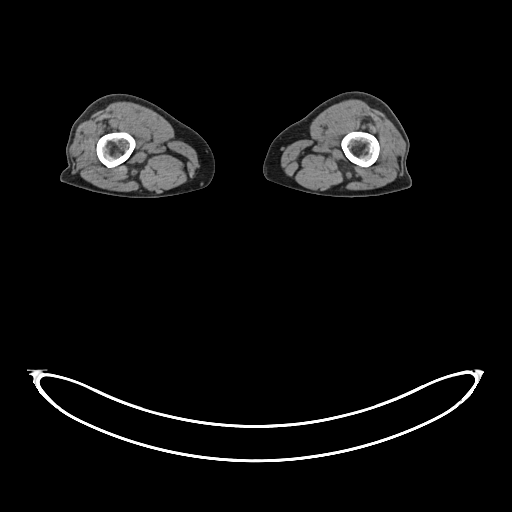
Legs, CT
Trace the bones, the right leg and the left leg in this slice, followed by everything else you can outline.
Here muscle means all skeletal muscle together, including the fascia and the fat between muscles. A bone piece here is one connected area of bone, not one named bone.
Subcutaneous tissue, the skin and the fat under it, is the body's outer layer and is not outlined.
Outlined structures:
bones 1: (118, 131) (124, 131) (125, 132) (129, 133) (134, 138) (135, 140) (135, 147) (129, 157) (125, 161) (114, 167) (111, 167) (110, 168) (104, 165) (99, 160) (96, 153) (96, 144) (97, 143) (98, 139) (104, 134) (106, 133) (109, 133) (110, 132) (117, 132)
bones 2: (351, 131) (365, 131) (366, 132) (368, 132) (374, 135) (377, 138) (378, 140) (378, 142) (379, 143) (379, 154) (375, 162) (371, 165) (367, 167) (362, 167) (357, 164) (355, 164) (351, 162) (345, 155) (341, 147) (341, 140) (342, 138) (347, 133)
right leg: (110, 93) (128, 93) (146, 99) (158, 105) (178, 120) (199, 133) (208, 143) (212, 150) (215, 160) (215, 172) (210, 183) (204, 188) (178, 195) (157, 198) (131, 198) (97, 193) (61, 182) (59, 179) (59, 175) (67, 165) (65, 146) (73, 122) (92, 101) (103, 95)
left leg: (353, 90) (367, 92) (383, 100) (391, 108) (402, 124) (410, 142) (410, 148) (406, 164) (412, 180) (411, 186) (407, 189) (376, 196) (333, 197) (302, 192) (267, 180) (263, 175) (262, 165) (268, 147) (272, 140) (283, 129) (290, 124) (301, 119) (323, 101) (339, 93)
muscle 1: (115, 101) (130, 101) (137, 103) (153, 110) (167, 120) (175, 132) (191, 145) (200, 156) (200, 166) (194, 178) (169, 191) (158, 194) (146, 194) (103, 189) (90, 185) (79, 176) (71, 174) (72, 158) (69, 147) (73, 142) (77, 127) (92, 111) (98, 107) with a hole at (118, 131) (124, 131) (125, 132) (129, 133) (134, 138) (135, 140) (135, 147) (129, 157) (125, 161) (114, 167) (111, 167) (110, 168) (104, 165) (99, 160) (96, 153) (96, 144) (97, 143) (98, 139) (104, 134) (106, 133) (109, 133) (110, 132) (117, 132)
muscle 2: (352, 98) (360, 99) (367, 104) (380, 109) (400, 133) (405, 142) (405, 151) (403, 158) (403, 173) (401, 178) (395, 183) (372, 192) (332, 192) (331, 193) (313, 191) (288, 180) (282, 173) (277, 159) (277, 153) (280, 147) (302, 135) (314, 118) (326, 108) (340, 101) with a hole at (351, 131) (365, 131) (366, 132) (368, 132) (374, 135) (377, 138) (378, 140) (378, 142) (379, 143) (379, 154) (375, 162) (371, 165) (367, 167) (362, 167) (357, 164) (355, 164) (351, 162) (345, 155) (341, 147) (341, 140) (342, 138) (347, 133)